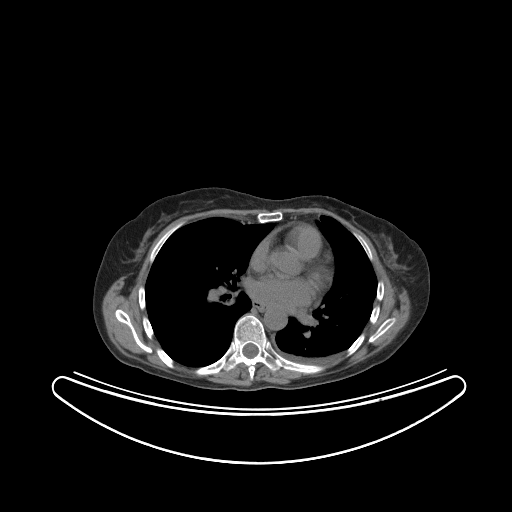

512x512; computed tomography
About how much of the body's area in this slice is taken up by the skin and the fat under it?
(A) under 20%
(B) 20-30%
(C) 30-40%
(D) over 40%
Answer: (B) 20-30%
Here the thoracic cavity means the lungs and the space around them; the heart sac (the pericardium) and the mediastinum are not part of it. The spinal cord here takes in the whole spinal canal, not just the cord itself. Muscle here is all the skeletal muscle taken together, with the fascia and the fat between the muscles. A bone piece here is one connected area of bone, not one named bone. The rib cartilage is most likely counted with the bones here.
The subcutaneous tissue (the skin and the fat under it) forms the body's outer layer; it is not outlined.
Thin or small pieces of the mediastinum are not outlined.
Outlines (x, y in pixels):
torso: 211 186; 230 188; 272 199; 312 194; 328 195; 393 223; 420 246; 429 266; 429 301; 414 331; 401 347; 382 363; 338 381; 293 390; 200 389; 148 374; 117 360; 102 341; 92 313; 94 281; 108 242; 123 224; 157 199; 194 188
pericardium: 294 220; 307 221; 314 224; 326 240; 329 248; 331 250; 331 254; 333 259; 333 275; 331 285; 318 300; 304 309; 290 309; 274 303; 269 303; 261 299; 257 299; 245 287; 246 270; 255 248; 268 233; 280 225; 288 221
spinal cord: 247 344; 253 344; 254 345; 255 345; 256 346; 256 347; 257 348; 257 353; 253 357; 247 357; 243 353; 243 348
muscle: 286 207; 321 207; 350 222; 372 243; 392 286; 399 292; 402 288; 407 291; 411 306; 409 318; 383 349; 332 373; 305 376; 283 384; 256 381; 245 386; 167 372; 124 354; 111 341; 102 314; 103 297; 112 283; 124 275; 123 291; 125 294; 129 292; 153 241; 165 227; 180 217; 211 209; 266 209; 269 211; 256 214; 256 222; 223 216; 207 217; 186 224; 180 221; 155 243; 148 257; 150 268; 145 283; 137 290; 137 301; 139 308; 142 311; 145 309; 147 314; 141 318; 147 338; 151 340; 154 336; 160 345; 155 349; 157 356; 170 369; 175 367; 176 362; 195 368; 193 372; 198 376; 229 371; 242 363; 247 367; 249 379; 253 380; 258 363; 273 372; 282 368; 315 374; 326 368; 320 364; 322 362; 335 355; 343 351; 347 357; 352 355; 366 338; 363 331; 366 324; 373 325; 377 321; 381 307; 374 302; 381 302; 385 291; 384 282; 376 277; 370 246; 359 233; 351 232; 329 215; 308 213; 284 218; 281 210; 274 210 with holes at 117 309; 121 309; 123 310; 129 316; 130 321; 136 332; 136 334; 138 338; 145 345; 151 348; 152 350; 151 352; 147 352; 142 349; 136 343; 133 337; 133 335; 130 328; 125 323; 123 323; 117 319; 115 316; 115 311 and at 393 317; 396 319; 395 322; 384 333; 383 333; 380 336; 379 336; 374 341; 372 342; 369 342; 368 341; 368 339; 369 337; 372 334; 374 333; 374 332; 378 328; 378 327; 385 320; 386 320; 388 318; 392 318
mediastinum 1: 245 273; 244 287; 257 300; 290 310; 307 309; 322 296; 321 303; 310 313; 300 315; 297 318; 291 316; 288 319; 286 325; 276 332; 273 339; 269 339; 262 321; 256 315; 246 312; 251 308; 252 302; 240 284
mediastinum 2: 308 214; 319 215; 319 220; 316 222; 316 225; 314 223; 312 223; 307 220; 302 220; 301 219; 298 220; 297 219; 294 219; 293 220; 288 220; 280 224; 271 231; 275 226; 273 222; 281 221; 285 218; 295 218; 301 215; 307 215
thoracic cavity 1: 212 217; 251 221; 260 224; 272 222; 274 226; 254 248; 245 272; 241 277; 239 284; 248 296; 251 306; 236 320; 228 347; 215 361; 203 366; 192 367; 175 361; 161 347; 154 335; 146 310; 145 284; 151 266; 168 238; 184 225
thoracic cavity 2: 321 215; 335 219; 358 241; 372 265; 377 280; 376 292; 368 321; 345 350; 320 363; 303 363; 280 354; 270 340; 273 340; 277 332; 287 325; 291 317; 297 319; 310 314; 317 308; 332 285; 335 268; 334 257; 330 244; 317 225
bones 1: 246 313; 261 321; 266 336; 280 355; 294 362; 319 364; 325 368; 315 373; 303 373; 282 367; 273 371; 258 362; 253 379; 250 379; 248 367; 240 362; 229 370; 196 374; 196 368; 215 362; 225 353; 233 338; 237 320 with a hole at 247 344; 253 344; 254 345; 255 345; 256 346; 256 347; 257 348; 257 353; 253 357; 247 357; 243 353; 243 348
bones 2: 117 309; 121 309; 123 310; 129 316; 130 321; 136 332; 136 334; 138 338; 145 345; 151 348; 152 350; 151 352; 147 352; 142 349; 136 343; 133 337; 133 335; 130 328; 125 323; 123 323; 117 319; 115 316; 115 311
bones 3: 180 222; 182 222; 183 223; 183 225; 182 225; 179 228; 174 231; 167 238; 167 239; 161 246; 160 249; 155 256; 154 260; 151 265; 149 261; 149 257; 152 251; 152 249; 154 247; 156 243; 169 229; 170 229; 173 226
bones 4: 270 211; 281 211; 283 214; 283 219; 282 219; 281 220; 278 220; 277 221; 271 221; 270 222; 263 222; 262 223; 260 223; 259 222; 257 222; 257 220; 256 219; 256 216; 258 213; 261 213; 262 212; 269 212
bones 5: 393 317; 396 319; 395 322; 384 333; 383 333; 380 336; 379 336; 374 341; 372 342; 369 342; 368 341; 368 339; 369 337; 372 334; 374 333; 374 332; 378 328; 378 327; 385 320; 386 320; 388 318; 392 318
bones 6: 362 332; 364 332; 364 333; 365 334; 365 338; 364 339; 364 340; 362 342; 362 343; 359 346; 359 347; 352 354; 351 354; 350 355; 349 355; 348 356; 347 356; 346 355; 346 350; 352 344; 352 343; 360 335; 360 334
bones 7: 158 347; 160 347; 174 361; 174 367; 173 368; 170 368; 167 365; 166 365; 160 359; 160 358; 158 356; 158 355; 157 354; 157 353; 156 352; 156 349
bones 8: 353 232; 356 232; 358 234; 359 234; 366 241; 371 251; 371 254; 372 255; 372 258; 373 259; 372 260; 372 262; 371 262; 371 261; 369 259; 366 252; 364 250; 363 247; 361 245; 359 241; 352 233
bones 9: 144 315; 146 315; 147 316; 147 317; 150 322; 150 324; 151 325; 151 327; 153 330; 153 337; 151 339; 149 339; 148 338; 148 337; 147 336; 147 335; 144 330; 144 327; 143 326; 143 323; 142 322; 142 318
bones 10: 142 285; 143 286; 144 286; 144 290; 145 291; 145 308; 143 310; 142 310; 140 308; 140 306; 139 305; 139 302; 138 301; 138 290; 139 289; 139 287; 140 286; 141 286
bones 11: 376 304; 378 304; 379 305; 379 306; 380 307; 380 309; 379 310; 379 314; 377 317; 377 319; 376 320; 376 321; 373 324; 372 324; 369 322; 369 318; 370 317; 370 315; 371 314; 371 312; 372 311; 372 309; 373 308; 373 306
bones 12: 379 280; 381 280; 383 282; 383 285; 384 286; 384 291; 383 292; 383 297; 382 298; 382 299; 381 300; 381 301; 378 301; 376 299; 376 293; 377 292; 377 283; 378 282; 378 281